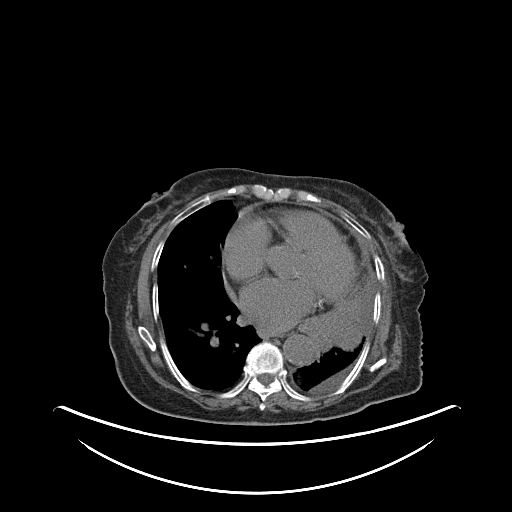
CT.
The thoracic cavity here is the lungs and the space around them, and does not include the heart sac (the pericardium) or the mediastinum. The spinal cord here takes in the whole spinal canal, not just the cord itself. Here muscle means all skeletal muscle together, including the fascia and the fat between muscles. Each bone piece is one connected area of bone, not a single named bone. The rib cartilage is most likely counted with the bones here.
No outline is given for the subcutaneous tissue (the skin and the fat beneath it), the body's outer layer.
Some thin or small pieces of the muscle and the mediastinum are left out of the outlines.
{"torso":[[[214,167],[347,180],[375,195],[404,224],[406,238],[421,256],[428,274],[418,309],[423,332],[423,376],[417,391],[334,419],[254,426],[208,423],[162,414],[143,406],[125,390],[108,343],[101,269],[104,253],[114,233],[153,192],[165,190],[188,173]]],"spinal_cord":[[[265,373],[266,373],[267,374],[270,374],[271,375],[272,375],[272,376],[273,377],[273,378],[272,379],[272,380],[267,385],[264,385],[261,382],[260,382],[258,380],[258,375],[259,375],[260,374],[264,374]]],"bones":[{"outer":[[262,341],[269,342],[280,350],[283,365],[287,370],[287,381],[294,389],[309,396],[311,400],[293,398],[282,389],[267,396],[264,401],[265,408],[260,410],[261,398],[257,393],[246,388],[232,397],[218,397],[219,393],[230,389],[242,378],[249,351]],"hole":[[265,373],[266,373],[267,374],[270,374],[271,375],[272,375],[272,376],[273,377],[273,378],[272,379],[272,380],[267,385],[264,385],[261,382],[260,382],[258,380],[258,375],[259,375],[260,374],[264,374]]},[[240,184],[247,187],[253,184],[262,184],[275,190],[281,187],[289,187],[294,191],[304,190],[319,197],[321,202],[298,201],[294,198],[266,200],[248,192],[243,195],[230,195],[216,199],[194,211],[173,227],[170,224],[171,220],[205,194],[213,194]],[[160,336],[162,336],[164,338],[164,340],[165,341],[166,346],[168,349],[168,351],[175,365],[179,371],[193,386],[198,388],[199,392],[193,392],[184,388],[172,374],[166,363],[166,361],[163,356],[163,354],[160,347],[160,343],[159,342],[159,338]],[[367,340],[369,341],[369,349],[360,371],[358,373],[354,380],[350,384],[350,385],[342,393],[336,394],[335,395],[331,395],[331,393],[332,393],[339,387],[344,379],[348,375],[348,374],[355,365],[359,357],[359,355],[362,350],[363,345]],[[341,211],[343,211],[345,212],[349,216],[349,217],[351,218],[351,219],[353,220],[353,221],[358,226],[362,226],[364,227],[370,234],[370,236],[371,237],[369,239],[367,239],[363,237],[355,230],[354,230],[341,217],[341,215],[340,214],[341,213]],[[140,325],[141,326],[143,326],[145,327],[148,330],[151,336],[153,338],[156,344],[156,349],[154,351],[152,351],[145,343],[145,342],[140,337],[138,333],[138,329],[137,328],[138,326]],[[155,282],[156,282],[157,283],[157,300],[158,301],[158,308],[159,309],[159,316],[158,317],[158,320],[156,322],[155,321],[155,320],[154,319],[154,315],[153,314],[153,308],[152,307],[152,286],[153,285],[153,284]],[[377,291],[378,291],[380,293],[380,301],[381,302],[381,306],[380,307],[380,316],[379,317],[379,319],[378,320],[378,322],[377,324],[375,324],[373,322],[373,320],[372,319],[372,316],[373,315],[373,305],[374,304],[374,298],[375,297],[375,294]],[[375,254],[377,254],[379,256],[379,257],[380,258],[380,259],[381,260],[381,261],[383,264],[383,268],[384,269],[384,279],[382,281],[381,281],[380,280],[378,280],[376,278],[376,274],[375,273],[375,268],[374,267],[374,262],[373,261],[373,256]],[[161,240],[164,240],[165,241],[164,242],[164,244],[163,245],[163,247],[162,248],[162,250],[161,251],[161,253],[159,257],[159,260],[157,264],[157,267],[153,271],[152,271],[151,270],[151,264],[152,263],[152,259],[153,258],[154,251],[158,243]],[[382,357],[386,357],[386,362],[384,364],[383,364],[379,368],[378,368],[376,370],[375,370],[374,371],[370,371],[369,370],[369,368],[377,360],[378,360],[380,358],[381,358]]],"muscle":[{"outer":[[170,219],[172,229],[165,240],[161,239],[157,243],[150,264],[152,272],[156,269],[156,281],[151,286],[152,314],[156,323],[159,317],[161,322],[163,336],[159,336],[158,342],[165,363],[178,383],[190,392],[199,393],[199,388],[211,390],[220,392],[217,394],[218,398],[228,399],[246,389],[260,398],[259,409],[231,412],[209,410],[165,388],[148,373],[128,339],[124,317],[129,291],[136,287],[147,245],[160,227]],"hole":[[140,325],[141,326],[143,326],[145,327],[148,330],[151,336],[153,338],[156,344],[156,349],[154,351],[152,351],[145,343],[145,342],[140,337],[138,333],[138,329],[137,328],[138,326]]},{"outer":[[371,234],[382,250],[391,280],[391,318],[393,323],[400,326],[402,333],[399,368],[388,373],[372,387],[317,410],[263,411],[267,397],[282,390],[291,398],[303,402],[309,402],[311,397],[317,395],[342,394],[361,371],[370,349],[370,341],[366,339],[371,330],[371,321],[377,325],[381,316],[382,302],[381,293],[377,290],[377,280],[382,282],[385,279],[380,256],[375,253],[372,260],[371,246],[366,240],[372,237]],"hole":[[382,357],[386,357],[386,362],[384,364],[383,364],[379,368],[378,368],[376,370],[375,370],[374,371],[370,371],[369,370],[369,368],[377,360],[378,360],[380,358],[381,358]]},[[320,197],[331,200],[341,205],[353,214],[362,225],[358,225],[354,221],[354,220],[352,219],[352,218],[343,210],[341,210],[340,211],[340,213],[339,214],[341,218],[340,218],[338,217],[338,216],[329,208],[324,207],[318,204],[322,202],[322,199]],[[203,194],[204,194],[204,195],[202,197],[195,200],[183,210],[180,211],[177,214],[176,214],[176,212],[178,210],[179,210],[180,209],[181,209],[183,207],[184,207],[189,202],[190,202],[193,199],[194,199],[195,198],[198,197],[200,195],[202,195]]],"thoracic_cavity":[[[224,198],[231,201],[237,213],[220,248],[220,268],[224,288],[229,299],[243,316],[244,323],[254,329],[260,341],[248,351],[242,367],[241,378],[230,388],[215,391],[193,385],[180,371],[169,351],[160,319],[157,268],[165,242],[173,228],[194,212]],[[370,264],[373,265],[376,279],[376,291],[373,298],[370,330],[354,365],[338,387],[330,393],[310,396],[298,391],[290,384],[293,381],[294,371],[308,365],[314,359],[314,346],[310,335],[312,322],[316,318],[335,310],[354,294],[367,280],[370,273]]],"mediastinum":[[[244,316],[254,326],[281,330],[291,330],[298,326],[311,323],[309,326],[309,335],[313,346],[313,359],[308,364],[293,371],[292,381],[290,383],[287,378],[288,370],[284,365],[284,358],[281,350],[269,341],[261,341],[255,329],[251,325],[245,323]],[[230,196],[246,196],[247,197],[248,196],[254,196],[257,198],[260,198],[261,199],[265,200],[259,200],[258,201],[253,202],[249,205],[246,205],[240,208],[238,212],[237,212],[234,209],[234,206],[232,203],[232,201],[226,198],[226,197],[229,197]],[[360,236],[364,238],[366,242],[370,246],[370,251],[371,252],[371,260],[373,262],[373,264],[372,262],[371,263],[370,262],[370,255],[368,253],[368,248],[366,247],[366,244],[364,243],[364,242],[362,240],[362,238],[360,237]],[[314,204],[317,204],[318,205],[319,205],[320,206],[321,206],[324,208],[327,208],[328,209],[329,209],[334,214],[335,214],[335,215],[334,215],[333,214],[332,214],[331,213],[330,213],[329,212],[326,211],[321,207],[320,207],[317,205],[315,205]]],"pericardium":[[[259,201],[311,203],[335,216],[349,226],[361,238],[367,248],[370,265],[366,280],[335,309],[316,317],[309,323],[304,323],[303,325],[298,325],[291,329],[258,326],[251,323],[232,300],[226,289],[221,268],[221,251],[226,236],[237,219],[240,209]]]}